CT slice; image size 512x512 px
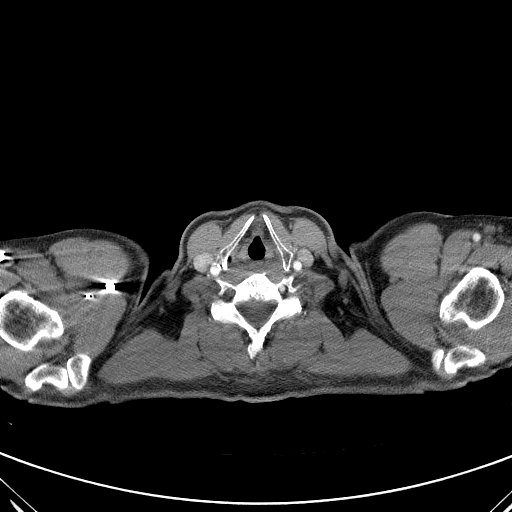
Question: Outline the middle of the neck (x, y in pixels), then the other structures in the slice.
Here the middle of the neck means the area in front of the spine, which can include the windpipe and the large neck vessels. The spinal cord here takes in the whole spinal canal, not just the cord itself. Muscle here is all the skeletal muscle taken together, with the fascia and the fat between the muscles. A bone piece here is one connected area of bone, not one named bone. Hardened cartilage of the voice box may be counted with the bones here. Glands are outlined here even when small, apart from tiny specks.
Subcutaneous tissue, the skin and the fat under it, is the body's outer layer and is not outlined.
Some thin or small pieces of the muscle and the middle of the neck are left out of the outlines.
Answer: {"middle_of_the_neck":[[[256,217],[262,218],[269,235],[281,257],[283,268],[258,269],[241,268],[221,271],[217,274],[202,273],[193,269],[193,259],[200,252],[209,251],[214,255],[217,254],[216,260],[218,266],[221,267],[223,270],[226,270],[228,268],[227,264],[229,256]],[[301,248],[304,248],[308,251],[311,252],[313,254],[313,262],[312,264],[311,264],[309,266],[307,266],[299,270],[292,270],[290,268],[289,268],[291,265],[291,260],[293,257],[293,255],[294,255],[295,253],[299,249]]],"spinal_cord":[[[250,300],[254,300],[255,301],[261,301],[262,302],[271,302],[271,303],[273,304],[273,307],[272,308],[272,310],[269,314],[268,317],[261,324],[257,326],[249,322],[242,314],[241,311],[238,307],[238,306],[241,303],[243,303],[244,302],[247,302]]],"head_and_neck":[[[255,199],[265,199],[283,205],[299,205],[315,211],[331,229],[336,243],[347,252],[359,276],[357,314],[337,359],[320,379],[288,398],[249,399],[205,383],[180,363],[164,333],[164,284],[170,265],[177,259],[185,228],[194,218],[204,212],[231,208]]],"right_arm":[[[83,227],[100,228],[124,234],[135,239],[147,249],[150,256],[150,265],[143,288],[141,290],[139,296],[130,308],[52,391],[40,398],[37,398],[27,402],[24,400],[17,400],[6,394],[0,389],[0,241],[12,238],[43,235],[65,229],[82,228]]],"thyroid_glands":[[[289,245],[290,245],[291,246],[292,247],[293,247],[294,247],[295,248],[296,249],[295,250],[295,251],[295,252],[294,253],[294,254],[293,254],[293,253],[292,252],[291,251],[291,250],[290,249],[289,248],[289,247],[288,246]]],"muscle":[{"outer":[[254,207],[315,222],[330,259],[357,283],[378,334],[401,350],[403,340],[379,296],[385,243],[420,221],[451,227],[485,223],[506,230],[511,357],[486,369],[464,369],[450,380],[418,373],[340,377],[282,370],[267,377],[154,378],[72,396],[23,395],[0,380],[0,338],[31,353],[65,332],[59,311],[27,289],[0,295],[0,246],[43,253],[53,242],[77,235],[120,244],[134,268],[110,354],[186,264],[193,230]],"holes":[[[263,271],[273,282],[293,275],[292,284],[300,286],[296,293],[300,297],[302,309],[289,318],[275,321],[265,337],[262,349],[251,359],[247,351],[251,341],[247,332],[235,323],[215,320],[209,305],[219,297],[220,287],[216,278],[236,284],[251,272]],[[262,213],[267,215],[274,230],[285,244],[294,247],[296,252],[304,248],[313,254],[312,264],[299,270],[241,268],[221,271],[217,274],[202,273],[193,269],[193,259],[200,252],[209,251],[214,255],[217,254],[218,250],[234,237],[252,214],[259,217]],[[474,266],[481,266],[488,269],[497,276],[500,282],[501,287],[504,293],[504,302],[498,315],[491,322],[478,330],[470,330],[467,329],[466,326],[461,321],[456,321],[453,323],[449,323],[448,324],[444,323],[439,318],[439,305],[442,297],[465,273]],[[80,352],[88,352],[90,355],[93,356],[93,363],[91,366],[88,381],[81,390],[76,390],[70,385],[67,388],[59,390],[49,383],[44,383],[41,388],[36,391],[32,391],[25,386],[25,376],[36,366],[44,362],[54,366],[64,366],[68,358]],[[458,344],[468,344],[472,347],[479,349],[484,353],[486,357],[485,362],[474,367],[468,367],[465,365],[461,367],[455,374],[446,373],[442,366],[438,371],[435,371],[432,368],[430,361],[430,353],[432,348],[439,347],[442,348],[446,352],[447,350]]]}],"bones":[{"outer":[[263,271],[273,282],[293,275],[292,284],[300,286],[296,293],[300,297],[302,309],[289,318],[275,321],[265,337],[262,349],[251,359],[247,351],[251,341],[247,332],[235,323],[215,320],[209,305],[219,297],[220,287],[216,278],[236,284],[251,272]],"holes":[[[250,300],[254,300],[255,301],[261,301],[262,302],[271,302],[271,303],[273,304],[273,307],[272,308],[272,310],[269,314],[268,317],[261,324],[257,326],[249,322],[242,314],[241,311],[238,307],[238,306],[241,303],[243,303],[244,302],[247,302]],[[228,290],[231,290],[233,292],[232,293],[232,294],[230,296],[230,297],[228,299],[225,299],[224,298],[223,298],[223,297],[225,295],[225,294],[226,293],[226,292]],[[281,286],[282,286],[283,286],[284,287],[285,288],[285,289],[285,290],[285,291],[285,292],[285,293],[285,294],[285,295],[284,295],[283,295],[283,294],[282,293],[281,293],[280,292],[280,291],[279,290],[279,289],[280,288],[280,287]]]},[[12,289],[24,289],[27,290],[30,294],[47,302],[51,306],[55,308],[60,314],[62,319],[62,322],[64,326],[64,332],[63,334],[58,339],[49,339],[41,341],[36,346],[36,349],[31,352],[21,351],[13,347],[1,338],[0,337],[0,296]],[[474,266],[481,266],[488,269],[497,276],[500,282],[501,287],[504,293],[504,302],[498,315],[491,322],[478,330],[470,330],[467,329],[466,326],[461,321],[456,321],[453,323],[449,323],[448,324],[444,323],[439,318],[439,305],[442,297],[465,273]],[[80,352],[88,352],[90,355],[93,356],[93,363],[91,366],[88,381],[81,390],[76,390],[70,385],[67,388],[59,390],[49,383],[44,383],[41,388],[36,391],[32,391],[25,386],[25,376],[36,366],[44,362],[54,366],[64,366],[68,358]],[[458,344],[468,344],[472,347],[479,349],[484,353],[486,357],[485,362],[474,367],[468,367],[465,365],[461,367],[455,374],[446,373],[442,366],[438,371],[435,371],[432,368],[430,361],[430,353],[432,348],[439,347],[442,348],[446,352],[447,350]],[[252,214],[254,214],[256,216],[251,222],[245,233],[241,237],[236,246],[228,256],[227,258],[227,263],[226,264],[227,268],[226,269],[223,269],[222,267],[219,266],[218,264],[218,261],[217,260],[218,250],[227,244],[234,237],[243,226],[244,223]],[[262,213],[265,213],[267,215],[271,222],[271,224],[274,230],[282,240],[282,241],[287,245],[288,248],[292,253],[292,257],[290,260],[290,265],[288,268],[288,270],[285,270],[283,266],[282,257],[270,235],[269,230],[263,218],[260,216]]],"torso":[[[169,265],[163,284],[163,333],[168,346],[179,363],[205,384],[233,396],[249,400],[285,399],[249,403],[240,400],[224,401],[209,398],[152,398],[114,405],[100,403],[83,408],[63,408],[27,403],[52,392],[131,308],[142,290],[143,296],[156,277]],[[371,233],[372,257],[377,285],[381,295],[394,311],[418,329],[452,375],[465,386],[447,391],[427,391],[423,394],[324,394],[300,398],[292,397],[322,378],[338,359],[352,332],[360,303],[360,276],[358,268],[348,253],[348,244],[351,240],[363,239]]],"left_arm":[[[416,210],[434,211],[454,215],[492,214],[505,215],[511,217],[511,368],[499,370],[494,375],[488,378],[475,382],[470,382],[466,385],[463,384],[453,375],[419,329],[394,310],[382,295],[378,285],[375,262],[373,257],[372,232],[389,219],[400,214]]]}